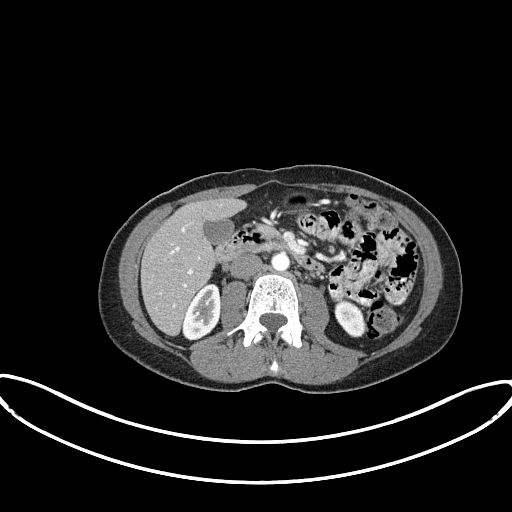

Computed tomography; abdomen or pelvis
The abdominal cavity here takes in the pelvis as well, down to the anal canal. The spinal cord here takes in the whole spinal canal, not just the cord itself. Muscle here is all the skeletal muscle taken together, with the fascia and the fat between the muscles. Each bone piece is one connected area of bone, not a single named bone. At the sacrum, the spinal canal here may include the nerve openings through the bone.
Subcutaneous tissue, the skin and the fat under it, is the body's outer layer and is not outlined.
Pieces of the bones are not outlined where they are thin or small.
The bones are outlined by [[246,347],[265,337],[272,342],[279,338],[290,345],[301,346],[303,326],[300,322],[298,312],[299,299],[295,287],[289,278],[268,273],[259,276],[255,280],[249,294],[245,317],[237,326],[227,332],[227,335],[230,335],[241,329],[244,332],[243,344]], around a hole outlined by [[271,333],[273,333],[280,326],[281,326],[283,324],[284,324],[286,322],[286,318],[283,315],[281,315],[280,314],[272,314],[271,313],[267,313],[266,314],[264,314],[263,315],[262,315],[260,317],[260,322],[263,325],[264,325],[269,330],[269,331]]. The abdominal cavity is outlined by [[367,352],[411,320],[423,277],[415,238],[377,200],[272,183],[237,197],[177,206],[142,250],[140,303],[164,339],[186,346],[220,330],[223,284],[243,281],[248,296],[254,280],[270,272],[289,277],[297,291],[301,283],[317,286],[330,312],[326,335]]. The torso is outlined by [[315,394],[360,389],[404,373],[439,352],[455,331],[463,294],[458,254],[443,225],[423,204],[406,191],[358,170],[330,164],[296,164],[197,176],[152,197],[126,219],[106,248],[97,288],[100,319],[120,351],[158,375],[200,389],[236,392],[275,383]]. The spinal cord is outlined by [[271,333],[273,333],[280,326],[281,326],[283,324],[284,324],[286,322],[286,318],[283,315],[281,315],[280,314],[272,314],[271,313],[267,313],[266,314],[264,314],[263,315],[262,315],[260,317],[260,322],[263,325],[264,325],[269,330],[269,331]]. The muscle is outlined by [[312,385],[332,383],[341,380],[360,366],[388,352],[407,345],[414,339],[426,323],[442,286],[442,266],[438,248],[431,232],[414,212],[399,202],[357,186],[334,183],[288,183],[277,179],[270,179],[258,184],[248,183],[221,186],[198,191],[158,206],[148,213],[134,227],[121,252],[118,265],[118,280],[125,313],[132,327],[142,337],[178,356],[202,376],[212,380],[225,383],[237,383],[271,375],[282,377],[296,383]]; inner edges: [[367,352],[411,320],[423,277],[415,238],[377,200],[272,183],[177,206],[142,250],[140,303],[164,339],[186,346],[220,330],[221,288],[240,280],[247,313],[227,335],[241,329],[246,347],[265,337],[300,347],[296,292],[309,283],[328,304],[326,335]], then [[275,373],[276,373],[278,371],[278,365],[277,364],[277,362],[276,361],[276,360],[275,359],[273,359],[273,360],[272,361],[272,362],[271,363],[271,364],[270,365],[270,369],[272,371],[273,371]].